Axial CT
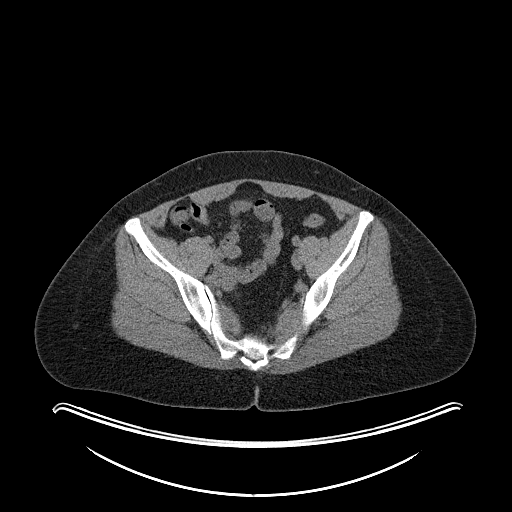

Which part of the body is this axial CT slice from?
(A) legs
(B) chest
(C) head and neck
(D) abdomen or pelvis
Answer: (D) abdomen or pelvis
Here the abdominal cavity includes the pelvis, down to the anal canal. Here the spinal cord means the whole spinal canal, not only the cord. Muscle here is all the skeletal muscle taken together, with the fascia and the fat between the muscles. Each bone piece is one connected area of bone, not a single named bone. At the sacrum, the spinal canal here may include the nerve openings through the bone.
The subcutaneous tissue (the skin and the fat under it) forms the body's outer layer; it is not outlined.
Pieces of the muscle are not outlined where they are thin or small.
The bones appear in 2 outlined pieces: piece 1: [[134,216],[139,218],[148,238],[166,259],[209,288],[227,337],[236,340],[252,334],[270,343],[281,344],[297,334],[290,357],[273,357],[256,371],[250,370],[239,359],[239,352],[222,359],[213,336],[187,309],[173,277],[152,262],[126,232],[124,224]]; piece 2: [[362,210],[368,210],[371,212],[373,215],[373,220],[365,228],[362,234],[357,251],[353,259],[345,270],[337,278],[331,297],[328,303],[321,313],[307,328],[305,328],[302,323],[304,297],[316,278],[324,272],[341,254],[357,224],[359,212]]. The torso is outlined by [[224,150],[282,150],[313,157],[379,193],[404,213],[453,267],[472,300],[476,335],[465,364],[451,376],[421,387],[292,411],[262,411],[254,405],[245,410],[175,407],[76,389],[51,377],[36,352],[34,320],[45,290],[65,260],[122,197],[176,165]]. The muscle appears in 4 outlined pieces: piece 1: [[372,213],[381,218],[389,234],[394,282],[402,303],[396,330],[374,344],[302,370],[284,374],[257,371],[273,358],[291,357],[298,334],[275,343],[268,341],[270,329],[284,306],[298,303],[301,298],[301,323],[305,329],[322,313],[374,220]]; piece 2: [[124,222],[123,228],[125,232],[135,240],[143,254],[172,277],[190,315],[208,335],[212,336],[220,358],[228,360],[239,353],[238,359],[248,369],[202,367],[177,357],[134,345],[120,338],[115,333],[110,325],[111,299],[117,289],[114,241],[116,230]]; piece 3: [[241,178],[298,185],[365,209],[358,212],[356,224],[340,254],[312,279],[297,250],[302,240],[308,236],[328,238],[346,221],[339,219],[330,205],[317,195],[301,199],[280,197],[266,192],[257,183],[246,181],[228,196],[208,203],[188,197],[180,199],[168,208],[164,223],[153,229],[158,235],[171,238],[178,244],[196,236],[207,240],[211,257],[205,271],[197,278],[166,258],[149,238],[140,218],[134,215],[200,188]]; piece 4: [[218,302],[220,302],[222,304],[223,304],[224,306],[228,308],[236,316],[239,322],[239,325],[241,327],[241,337],[237,338],[236,339],[233,339],[227,336],[227,335],[225,333],[223,329],[223,327],[222,326],[221,316],[220,315],[220,313],[218,309]]. The spinal cord appears in 2 outlined pieces: piece 1: [[249,358],[250,358],[251,358],[252,358],[253,358],[254,359],[255,359],[256,359],[257,358],[258,358],[259,358],[260,358],[259,359],[258,359],[257,360],[256,361],[255,361],[254,361],[253,361],[252,361],[251,360],[250,359]]; piece 2: [[272,349],[273,349],[274,350],[274,351],[274,352],[273,353],[272,353],[271,353],[270,353],[269,352],[269,351],[270,350],[271,350]]. The abdominal cavity is outlined by [[246,182],[280,198],[317,196],[345,221],[328,237],[301,240],[296,250],[314,280],[303,298],[283,306],[267,340],[252,333],[242,336],[237,316],[199,279],[212,257],[207,239],[196,235],[178,243],[154,229],[165,223],[176,202],[188,198],[208,204]].